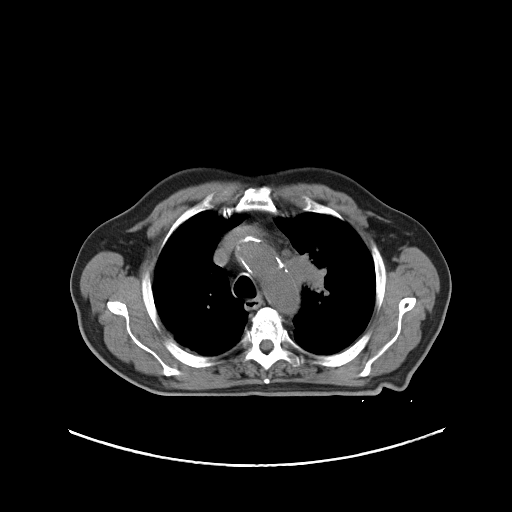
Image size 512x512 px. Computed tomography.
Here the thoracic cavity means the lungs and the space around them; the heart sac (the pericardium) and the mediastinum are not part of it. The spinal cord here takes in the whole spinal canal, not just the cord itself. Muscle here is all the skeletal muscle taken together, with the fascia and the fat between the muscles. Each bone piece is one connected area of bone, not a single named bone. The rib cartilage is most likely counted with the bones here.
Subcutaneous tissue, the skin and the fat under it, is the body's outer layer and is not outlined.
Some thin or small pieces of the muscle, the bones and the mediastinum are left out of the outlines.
{"muscle":[{"outer":[[211,180],[251,185],[234,205],[212,209],[227,196],[220,189],[181,213],[159,245],[152,280],[148,270],[140,279],[146,312],[158,331],[161,322],[171,334],[173,339],[165,338],[163,345],[175,359],[206,368],[216,365],[219,357],[241,350],[236,363],[253,360],[265,371],[279,360],[295,368],[307,358],[324,367],[344,365],[371,337],[370,330],[364,332],[374,307],[378,311],[384,300],[384,258],[391,269],[401,247],[415,246],[434,265],[440,288],[430,323],[405,360],[362,386],[270,383],[266,376],[262,384],[178,389],[166,387],[156,376],[139,372],[112,354],[80,292],[85,265],[98,252],[113,251],[127,260],[136,276],[150,241],[145,227],[128,230],[174,192]],"holes":[[[115,300],[120,301],[126,305],[130,330],[134,336],[144,345],[155,352],[167,365],[177,368],[182,373],[181,374],[170,376],[162,374],[163,368],[161,364],[152,354],[137,345],[130,337],[126,329],[125,318],[122,315],[113,313],[107,307],[108,301]],[[405,297],[415,297],[416,300],[413,307],[406,311],[402,315],[401,328],[397,338],[379,357],[372,362],[370,372],[368,375],[366,376],[357,376],[358,373],[363,369],[367,361],[389,341],[395,334],[397,330],[397,321],[399,313],[398,304],[400,300]]]},[[297,182],[321,183],[344,192],[362,210],[371,211],[381,217],[383,219],[372,216],[368,218],[368,230],[375,241],[370,241],[370,248],[339,212],[307,195],[303,195],[299,202],[302,211],[293,212],[279,209],[271,196],[273,189],[269,185]]],"bones":[{"outer":[[267,306],[277,311],[300,347],[317,355],[339,353],[370,331],[364,348],[339,366],[314,364],[307,357],[295,367],[279,359],[265,370],[253,359],[236,362],[242,350],[237,349],[219,356],[214,365],[193,367],[164,345],[170,339],[196,355],[221,355]],"hole":[[263,340],[269,340],[270,341],[271,341],[271,342],[272,343],[272,348],[270,350],[269,350],[268,351],[263,351],[260,348],[260,343]]},[[263,185],[268,185],[271,187],[272,191],[270,196],[276,207],[285,215],[273,214],[261,210],[250,210],[243,212],[234,212],[229,217],[226,218],[219,212],[223,207],[234,206],[238,202],[239,198],[243,194],[243,191],[246,188],[251,186],[258,187]],[[220,190],[226,191],[227,192],[226,196],[222,200],[218,201],[215,203],[213,208],[201,211],[191,216],[182,222],[170,235],[158,255],[158,251],[160,245],[165,235],[173,223],[179,217],[179,216],[190,207],[199,203],[208,194]],[[115,300],[120,301],[126,305],[130,330],[134,336],[144,345],[155,352],[167,365],[177,368],[182,373],[181,374],[170,376],[162,374],[163,368],[161,364],[152,354],[137,345],[130,337],[126,329],[125,318],[122,315],[113,313],[107,307],[108,301]],[[405,297],[415,297],[416,300],[413,307],[406,311],[402,315],[401,328],[397,338],[379,357],[372,362],[370,372],[368,375],[366,376],[357,376],[358,373],[363,369],[367,361],[389,341],[395,334],[397,330],[397,321],[399,313],[398,304],[400,300]],[[371,241],[373,241],[376,244],[383,258],[383,261],[385,266],[385,276],[386,277],[385,278],[385,290],[384,291],[384,295],[383,296],[383,300],[381,306],[378,310],[377,310],[375,307],[376,275],[375,274],[374,262],[370,251],[371,248]],[[146,271],[148,271],[149,273],[149,276],[151,281],[151,288],[152,289],[152,294],[153,295],[153,301],[155,305],[155,308],[156,309],[158,317],[160,320],[159,330],[154,326],[147,312],[147,310],[143,300],[143,297],[142,296],[141,279],[144,272]],[[303,196],[307,196],[312,200],[316,202],[318,202],[321,204],[323,204],[328,207],[332,208],[338,213],[339,213],[343,217],[343,220],[335,216],[333,216],[329,214],[319,213],[318,212],[313,212],[312,211],[303,211],[300,205],[300,202]]],"spinal_cord":[[[263,340],[269,340],[270,341],[271,341],[271,342],[272,343],[272,348],[270,350],[269,350],[268,351],[263,351],[260,348],[260,343]]],"thoracic_cavity":[[[300,212],[329,215],[347,222],[369,250],[373,262],[375,275],[374,306],[369,321],[363,333],[352,344],[332,354],[311,352],[294,340],[293,318],[301,305],[301,287],[296,273],[296,267],[298,265],[296,248],[276,225],[275,218],[278,216],[294,216]],[[208,210],[215,210],[226,219],[234,213],[245,215],[237,225],[222,235],[212,253],[212,261],[227,274],[232,295],[242,300],[243,307],[248,314],[240,339],[231,348],[218,355],[196,354],[178,344],[159,317],[152,288],[156,261],[171,235],[182,223]]],"torso":[[[194,166],[215,166],[248,174],[300,166],[330,168],[351,177],[428,230],[449,267],[451,295],[441,329],[405,389],[395,391],[384,387],[373,396],[166,396],[127,381],[90,350],[81,335],[70,295],[70,274],[83,241],[94,228],[127,209],[162,178]]],"mediastinum":[[[250,211],[279,215],[274,218],[274,223],[295,248],[295,273],[300,287],[300,305],[292,318],[293,339],[278,311],[267,305],[255,312],[247,327],[249,314],[243,300],[233,295],[227,272],[213,261],[213,253],[223,235],[244,219],[244,212]]]}